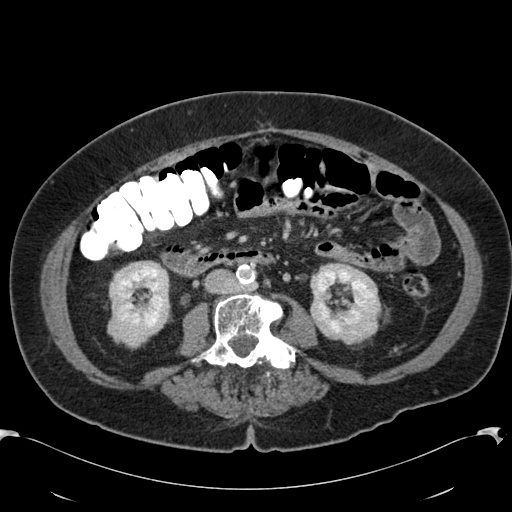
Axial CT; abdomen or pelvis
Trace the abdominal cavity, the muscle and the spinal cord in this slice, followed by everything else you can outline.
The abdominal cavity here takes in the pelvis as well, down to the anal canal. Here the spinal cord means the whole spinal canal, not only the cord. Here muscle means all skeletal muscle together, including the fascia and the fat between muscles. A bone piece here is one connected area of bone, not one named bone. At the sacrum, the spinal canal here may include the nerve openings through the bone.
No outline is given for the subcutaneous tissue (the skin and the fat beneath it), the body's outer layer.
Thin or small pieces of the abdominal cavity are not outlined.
{"abdominal_cavity":[[[260,133],[337,148],[435,200],[463,258],[436,336],[366,376],[308,355],[318,334],[295,299],[271,294],[288,305],[283,318],[278,300],[243,292],[215,304],[212,326],[205,301],[183,316],[184,360],[137,382],[100,369],[67,302],[86,216],[127,180]]],"muscle":[{"outer":[[277,127],[278,128],[303,129],[328,134],[334,137],[351,142],[361,146],[369,151],[374,152],[381,157],[398,165],[424,183],[445,202],[454,208],[464,219],[474,238],[477,249],[481,257],[483,277],[482,278],[482,291],[477,308],[471,318],[470,322],[457,341],[435,364],[425,370],[408,374],[404,377],[392,382],[376,385],[360,385],[359,384],[339,383],[336,387],[333,387],[321,399],[315,402],[312,402],[309,405],[301,408],[294,413],[287,415],[279,415],[274,417],[258,417],[246,412],[226,419],[222,417],[212,417],[200,415],[180,409],[165,395],[162,394],[157,388],[152,391],[151,390],[125,390],[122,391],[96,384],[87,379],[81,371],[76,369],[66,360],[62,352],[51,338],[50,332],[45,322],[44,314],[41,306],[39,289],[40,288],[40,275],[42,270],[42,266],[48,252],[52,247],[58,235],[95,197],[106,188],[115,183],[118,179],[124,176],[128,172],[134,170],[144,163],[166,152],[189,143],[211,137],[215,137],[220,135],[237,134],[242,132],[247,133],[259,130],[274,129]],"hole":[[260,133],[337,148],[435,200],[463,258],[436,336],[366,376],[308,355],[318,344],[312,318],[273,292],[289,310],[272,331],[297,350],[287,368],[191,362],[216,337],[200,301],[181,321],[184,360],[137,382],[100,369],[67,302],[86,216],[127,180]]}],"spinal_cord":[[[240,335],[249,335],[250,336],[253,336],[257,339],[257,342],[254,346],[254,347],[251,350],[250,350],[249,352],[245,356],[240,356],[238,355],[234,351],[232,347],[229,345],[229,341],[231,339],[232,339],[234,337],[236,337]]],"bones":[{"outer":[[243,293],[251,295],[257,293],[282,305],[284,314],[272,325],[272,331],[297,350],[295,362],[289,367],[276,368],[265,360],[247,368],[236,364],[223,367],[210,364],[203,359],[191,362],[192,358],[209,348],[215,341],[213,316],[216,304],[229,296]],"hole":[[240,335],[249,335],[250,336],[253,336],[257,339],[257,342],[254,346],[254,347],[251,350],[250,350],[249,352],[245,356],[240,356],[238,355],[234,351],[232,347],[229,345],[229,341],[231,339],[232,339],[234,337],[236,337]]}],"torso":[[[232,90],[320,92],[370,102],[430,131],[479,172],[507,222],[511,299],[496,358],[475,387],[403,411],[344,442],[266,453],[252,445],[215,453],[125,437],[62,411],[40,389],[17,345],[8,290],[12,243],[28,202],[65,159],[118,123],[169,102]]]}